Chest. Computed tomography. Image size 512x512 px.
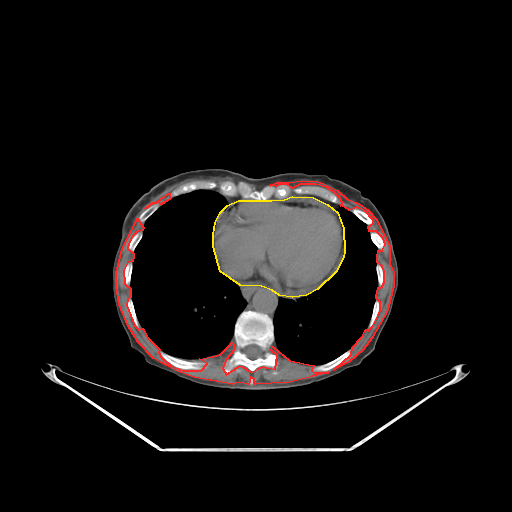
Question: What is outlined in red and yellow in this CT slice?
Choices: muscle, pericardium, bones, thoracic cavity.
Answer: red: muscle; yellow: pericardium.
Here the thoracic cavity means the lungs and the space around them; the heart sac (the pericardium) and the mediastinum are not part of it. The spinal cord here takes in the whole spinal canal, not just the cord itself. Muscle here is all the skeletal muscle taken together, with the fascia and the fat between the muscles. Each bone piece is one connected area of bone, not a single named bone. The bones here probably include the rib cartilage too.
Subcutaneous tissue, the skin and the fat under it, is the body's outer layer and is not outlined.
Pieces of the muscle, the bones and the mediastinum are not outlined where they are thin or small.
The muscle appears in 3 outlined pieces: piece 1: 137,218 143,227 142,230 137,231 132,236 128,243 127,248 133,253 133,256 132,261 127,262 123,270 124,283 130,288 130,297 127,299 126,305 134,325 138,329 142,328 147,337 159,349 158,352 161,357 170,365 183,370 201,370 207,363 199,359 220,354 232,342 234,349 225,360 222,368 226,374 240,365 251,372 262,366 275,369 277,355 271,350 272,346 289,360 313,365 311,370 314,372 328,372 289,382 254,384 254,379 250,377 248,384 239,382 232,384 194,377 177,371 153,358 138,342 128,326 119,304 116,286 116,272 122,249; piece 2: 301,180 317,181 323,183 337,190 346,198 358,203 367,209 376,219 389,246 389,263 393,272 393,285 387,310 371,338 363,349 348,362 334,369 351,354 352,347 362,336 365,330 366,329 368,330 373,325 378,315 380,310 380,302 376,298 376,296 378,287 381,287 384,282 384,271 382,266 377,262 377,256 378,250 382,250 385,244 383,238 376,231 369,231 368,226 373,223 373,220 365,211 356,207 349,210 342,205 340,205 342,204 342,202 339,197 334,192 326,187 315,184 300,184 292,188 287,184 280,184 276,186 270,185 276,182 288,182; piece 3: 168,193 169,193 169,197 170,198 166,201 165,201 163,203 162,203 161,204 158,202 156,202 155,203 148,206 146,208 145,208 151,203 152,203 153,202 155,202 156,201 159,200 162,197 163,197. The pericardium is outlined by 292,196 313,197 327,204 337,212 343,228 344,251 343,257 335,272 317,289 306,295 292,297 279,295 272,290 261,286 240,285 220,271 213,246 213,234 215,222 220,212 227,205 238,200 271,200 284,199. The mediastinum appears in 2 outlined pieces: piece 1: 237,284 240,286 261,287 270,290 279,296 298,298 297,299 293,299 292,298 281,297 278,300 278,304 275,309 274,315 272,318 266,313 260,311 252,310 251,309 244,309 247,303 246,300 242,297 241,292; piece 2: 300,195 314,195 315,196 318,196 319,197 320,197 325,200 327,200 334,204 338,204 340,206 341,206 340,206 338,208 337,211 333,207 332,207 327,203 325,203 313,196 308,196 307,195 301,195 300,196. The thoracic cavity appears in 2 outlined pieces: piece 1: 195,190 214,190 225,199 224,207 214,218 212,248 218,271 237,285 241,297 246,303 235,320 231,343 226,349 203,358 186,359 165,352 148,337 137,317 131,297 130,284 134,252 143,237 146,220 171,198; piece 2: 342,206 367,225 370,239 377,249 375,299 367,326 351,347 324,363 315,365 301,363 283,356 277,350 274,345 273,318 281,298 297,300 306,297 320,288 341,265 346,249 345,232 338,213 339,208. The spinal cord is outlined by 252,344 259,346 263,351 263,352 262,353 262,355 261,356 258,356 256,358 254,358 253,359 252,359 251,358 249,358 243,352 243,351 242,350 246,346 247,346 248,345 251,345. The bones appear in 12 outlined pieces: piece 1: 244,310 260,312 266,314 272,319 274,343 271,346 270,350 276,355 275,368 262,365 251,371 246,366 240,364 235,366 228,373 223,371 226,360 232,355 235,349 235,345 232,340 236,320 241,312; inner edge: 252,344 259,346 263,351 263,352 262,353 262,355 261,356 258,356 256,358 254,358 253,359 252,359 251,358 249,358 243,352 243,351 242,350 246,346 247,346 248,345 251,345; piece 2: 196,180 209,180 218,185 225,181 236,184 242,181 257,190 268,185 287,185 291,189 300,185 315,185 334,193 341,204 318,195 294,192 284,198 273,196 268,199 226,196 217,187 195,189 170,197 174,189; piece 3: 159,350 161,350 165,353 169,354 174,357 177,357 178,358 181,358 182,359 185,359 186,360 198,360 199,361 205,362 206,364 205,364 201,369 183,369 182,368 179,368 170,364 164,358 163,358 160,354; piece 4: 350,348 351,348 351,352 350,354 343,361 342,361 338,365 337,365 332,369 328,371 314,371 312,370 312,367 313,366 315,366 316,365 320,365 321,364 324,364 329,361 331,361 341,355 344,352 345,352; piece 5: 156,203 158,203 159,204 160,204 159,207 151,215 150,215 145,220 145,221 143,223 142,222 139,221 138,220 138,217 139,216 139,215 145,209 146,209 148,207 149,207 150,206 151,206 152,205 153,205; piece 6: 355,208 356,208 357,209 359,209 360,210 361,210 362,211 365,212 371,218 371,219 372,220 372,223 371,224 368,225 367,224 366,224 363,221 362,221 359,218 358,218 351,211 353,209 354,209; piece 7: 129,298 131,298 132,300 132,302 133,303 133,306 134,307 134,309 135,310 135,313 136,314 136,317 139,322 139,324 140,325 140,328 138,328 135,325 129,313 129,310 128,309 128,306 127,305 127,301; piece 8: 140,231 142,231 143,232 142,237 141,238 141,239 139,241 139,242 137,244 137,245 136,246 134,251 133,252 132,252 131,251 130,251 128,248 129,243 130,242 131,239 133,237 133,236 137,232 139,232; piece 9: 370,232 376,232 382,238 382,239 383,240 383,243 384,244 384,245 383,246 383,248 382,249 378,249 377,248 377,247 374,244 374,243 372,241 372,240 371,239 371,237 370,236; piece 10: 129,262 132,262 132,271 131,272 131,279 130,280 130,283 129,284 129,285 128,286 127,285 126,285 126,284 125,283 125,278 124,277 124,270 125,269 125,266 126,265 126,264 127,263 128,263; piece 11: 376,299 378,300 379,302 379,310 377,313 377,315 372,325 368,329 367,329 368,324 371,318 371,315 372,314 372,310 373,309 373,306 374,305 374,303; piece 12: 377,263 378,263 381,266 381,267 382,268 382,270 383,271 383,282 382,283 382,284 381,285 381,286 378,286 378,280 377,279 377,273 376,272 376,265 377,264. The torso is outlined by 204,168 223,168 251,177 285,172 326,174 359,189 375,204 392,239 398,265 398,288 375,349 360,364 302,387 265,391 230,390 180,379 147,363 130,346 112,293 112,265 123,219 133,203 156,183 184,171.